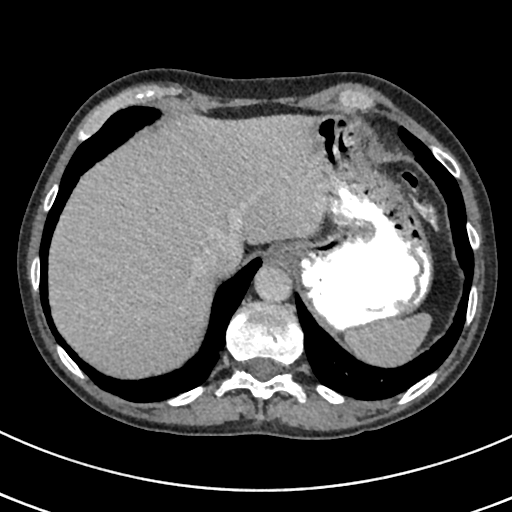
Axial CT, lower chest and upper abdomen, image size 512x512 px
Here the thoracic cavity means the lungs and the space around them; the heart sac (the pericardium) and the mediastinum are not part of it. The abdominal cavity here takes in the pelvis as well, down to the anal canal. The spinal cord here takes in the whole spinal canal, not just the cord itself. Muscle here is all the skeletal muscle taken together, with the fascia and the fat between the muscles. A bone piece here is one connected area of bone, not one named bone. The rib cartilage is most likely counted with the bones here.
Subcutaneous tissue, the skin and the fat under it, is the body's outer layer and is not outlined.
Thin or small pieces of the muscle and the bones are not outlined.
The thoracic cavity appears in 2 outlined pieces: piece 1: (134, 105) (159, 115) (79, 176) (51, 234) (47, 300) (61, 337) (105, 376) (136, 381) (168, 374) (199, 351) (218, 288) (255, 258) (261, 262) (228, 322) (225, 349) (205, 381) (148, 402) (107, 391) (84, 373) (56, 341) (39, 292) (44, 225) (70, 159) (114, 113); piece 2: (399, 126) (418, 138) (457, 183) (473, 257) (472, 283) (462, 329) (437, 368) (401, 393) (365, 400) (346, 396) (318, 381) (304, 354) (304, 332) (295, 295) (317, 325) (350, 356) (368, 366) (394, 369) (429, 350) (446, 334) (454, 322) (466, 280) (446, 199) (399, 137). The muscle is outlined by (158, 81) (175, 82) (204, 94) (212, 96) (227, 97) (228, 98) (275, 98) (276, 97) (287, 97) (288, 96) (307, 96) (342, 82) (355, 82) (372, 87) (388, 97) (398, 107) (411, 116) (417, 122) (433, 134) (451, 151) (460, 163) (473, 188) (474, 198) (476, 200) (476, 203) (480, 214) (480, 224) (483, 236) (482, 237) (484, 247) (483, 257) (484, 258) (485, 269) (484, 270) (484, 288) (483, 289) (482, 309) (477, 329) (463, 358) (441, 383) (418, 402) (393, 415) (357, 426) (342, 428) (337, 430) (321, 431) (320, 430) (302, 429) (299, 427) (289, 426) (286, 424) (281, 424) (278, 422) (269, 422) (266, 419) (234, 420) (233, 421) (226, 421) (217, 425) (207, 425) (206, 426) (170, 424) (169, 423) (163, 423) (141, 419) (121, 413) (103, 404) (86, 392) (64, 372) (47, 349) (40, 334) (40, 331) (38, 328) (34, 314) (33, 302) (30, 292) (30, 285) (27, 279) (26, 257) (31, 237) (31, 231) (34, 217) (40, 203) (40, 199) (49, 176) (54, 169) (55, 165) (69, 138) (75, 130) (77, 125) (86, 114) (104, 99) (116, 94) (127, 87) (138, 83) (157, 82) with a hole at (153, 85) (181, 89) (175, 96) (200, 110) (261, 103) (300, 108) (339, 104) (341, 91) (359, 90) (374, 101) (363, 112) (386, 118) (427, 147) (433, 144) (451, 155) (460, 170) (455, 180) (466, 219) (480, 240) (472, 252) (477, 304) (470, 324) (462, 327) (429, 387) (403, 404) (397, 404) (401, 393) (375, 400) (346, 396) (343, 403) (331, 403) (314, 389) (318, 380) (303, 353) (288, 370) (304, 390) (305, 402) (284, 391) (276, 391) (267, 399) (256, 398) (247, 388) (217, 396) (215, 389) (240, 365) (224, 349) (202, 384) (209, 388) (187, 404) (172, 406) (164, 399) (125, 399) (66, 367) (30, 277) (48, 214) (43, 203) (53, 184) (61, 181) (80, 144) (78, 132) (94, 111) (128, 89). The abdominal cavity is outlined by (169, 97) (200, 110) (340, 104) (358, 109) (387, 153) (415, 157) (445, 199) (465, 277) (445, 334) (401, 366) (363, 363) (318, 325) (288, 254) (272, 249) (217, 288) (203, 341) (182, 367) (132, 380) (84, 361) (52, 318) (52, 234) (80, 176) (160, 115) (141, 104). The spinal cord is outlined by (256, 357) (261, 357) (262, 358) (270, 358) (274, 361) (278, 362) (281, 366) (281, 372) (276, 374) (271, 378) (265, 381) (261, 381) (257, 379) (249, 372) (248, 372) (246, 368) (247, 367) (246, 366) (247, 365) (246, 364) (246, 362) (248, 360) (252, 358) (255, 358). The mediastinum appears in 2 outlined pieces: piece 1: (272, 250) (282, 250) (287, 254) (287, 257) (289, 258) (291, 272) (295, 279) (294, 298) (297, 315) (284, 306) (266, 303) (258, 300) (249, 301) (244, 305) (239, 306) (250, 285) (250, 282) (254, 274) (261, 265) (262, 262) (260, 256) (263, 256) (264, 254) (267, 254); piece 2: (359, 110) (362, 110) (363, 112) (366, 113) (375, 114) (378, 116) (386, 118) (388, 120) (395, 123) (398, 126) (397, 128) (397, 135) (398, 137) (415, 154) (415, 156) (402, 155) (401, 154) (395, 154) (387, 152) (384, 149) (378, 136) (368, 123) (367, 120) (359, 114). The bones appear in 11 outlined pieces: piece 1: (255, 301) (284, 307) (298, 318) (303, 332) (303, 353) (288, 370) (306, 394) (306, 401) (303, 403) (284, 391) (276, 391) (267, 399) (256, 398) (247, 388) (236, 388) (227, 391) (221, 396) (214, 393) (221, 381) (240, 365) (225, 347) (225, 334) (229, 322) (239, 307), around a hole outlined by (256, 357) (261, 357) (262, 358) (270, 358) (274, 361) (278, 362) (281, 366) (281, 372) (276, 374) (271, 378) (265, 381) (261, 381) (257, 379) (249, 372) (248, 372) (246, 368) (247, 367) (246, 366) (247, 365) (246, 364) (246, 362) (248, 360) (252, 358) (255, 358); piece 2: (153, 85) (158, 85) (162, 87) (163, 86) (179, 88) (181, 89) (181, 93) (175, 96) (166, 95) (161, 99) (152, 99) (145, 103) (134, 104) (120, 108) (114, 112) (95, 133) (80, 143) (77, 139) (79, 130) (94, 111) (98, 109) (110, 98) (128, 89) (144, 88); piece 3: (346, 89) (359, 90) (360, 91) (362, 91) (366, 93) (369, 96) (373, 98) (373, 100) (374, 101) (374, 105) (371, 107) (368, 107) (365, 109) (359, 109) (355, 107) (349, 107) (348, 106) (343, 106) (341, 105) (341, 104) (338, 101) (338, 95) (341, 91) (345, 90); piece 4: (435, 370) (437, 370) (438, 374) (435, 380) (429, 387) (428, 387) (423, 392) (422, 392) (419, 395) (418, 395) (413, 399) (403, 404) (397, 404) (397, 401) (398, 399) (406, 390) (407, 390) (411, 386) (415, 384) (418, 381) (419, 381) (430, 373) (433, 372); piece 5: (431, 144) (433, 144) (434, 145) (436, 145) (440, 147) (443, 150) (446, 151) (451, 155) (451, 156) (454, 159) (457, 165) (459, 167) (459, 169) (460, 170) (460, 177) (459, 178) (456, 179) (434, 156) (431, 150) (428, 147); piece 6: (200, 385) (203, 385) (208, 388) (209, 387) (209, 388) (206, 389) (194, 400) (187, 404) (184, 404) (183, 405) (178, 405) (177, 406) (172, 406) (171, 405) (167, 404) (165, 402) (165, 400) (168, 398) (173, 397) (181, 393) (183, 393) (189, 390) (191, 390); piece 7: (57, 343) (59, 344) (64, 349) (64, 350) (75, 362) (75, 363) (83, 372) (83, 373) (87, 376) (86, 378) (84, 379) (82, 379) (78, 377) (76, 375) (72, 373) (66, 367) (66, 366) (60, 359) (57, 353) (57, 351) (55, 347) (55, 345); piece 8: (318, 382) (319, 383) (328, 387) (330, 389) (331, 389) (332, 390) (345, 396) (345, 397) (346, 398) (346, 400) (343, 403) (340, 403) (339, 404) (336, 404) (335, 403) (331, 403) (330, 402) (329, 402) (326, 399) (325, 399) (323, 397) (322, 397) (314, 389) (315, 384); piece 9: (472, 284) (474, 284) (477, 288) (477, 304) (476, 305) (474, 316) (470, 324) (468, 326) (464, 326) (465, 318) (466, 317) (466, 311) (467, 310) (467, 304) (468, 303) (468, 299) (469, 298) (469, 293) (470, 292) (470, 289) (471, 288); piece 10: (36, 255) (38, 255) (39, 256) (39, 290) (38, 291) (38, 292) (35, 292) (33, 290) (33, 288) (32, 287) (32, 285) (31, 284) (31, 278) (30, 277) (30, 269) (31, 268) (31, 263) (32, 262) (32, 260) (33, 259) (33, 258); piece 11: (57, 182) (59, 183) (59, 186) (58, 187) (58, 190) (57, 191) (56, 196) (48, 212) (45, 212) (43, 209) (43, 203) (44, 202) (45, 197) (47, 193) (53, 185) (53, 184). The torso is outlined by (154, 67) (232, 78) (367, 72) (407, 90) (449, 127) (488, 194) (498, 276) (493, 309) (479, 347) (442, 396) (407, 418) (335, 439) (189, 436) (145, 430) (108, 417) (83, 402) (52, 372) (30, 335) (19, 293) (16, 251) (23, 214) (49, 154) (79, 106) (110, 81).